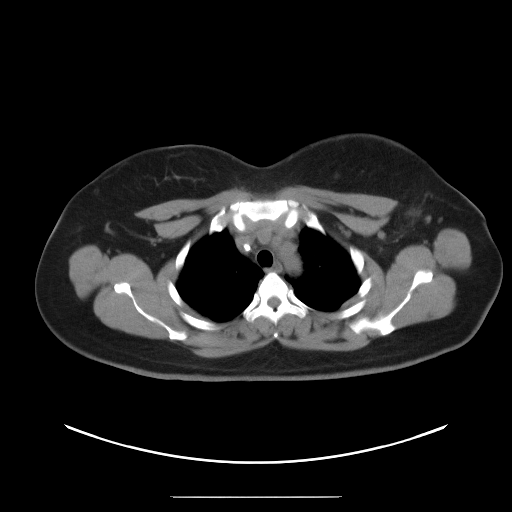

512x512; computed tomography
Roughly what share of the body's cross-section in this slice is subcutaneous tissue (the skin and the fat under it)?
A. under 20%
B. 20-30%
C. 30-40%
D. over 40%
D. over 40%
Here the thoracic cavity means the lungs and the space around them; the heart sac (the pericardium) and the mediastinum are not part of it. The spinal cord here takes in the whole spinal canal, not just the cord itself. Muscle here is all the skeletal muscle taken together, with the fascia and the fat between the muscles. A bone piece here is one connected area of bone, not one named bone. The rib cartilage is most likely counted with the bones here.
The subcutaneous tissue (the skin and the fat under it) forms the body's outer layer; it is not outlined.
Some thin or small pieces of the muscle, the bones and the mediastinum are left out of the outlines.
The thoracic cavity appears in 2 outlined pieces: piece 1: 225,228 233,240 237,251 242,256 259,268 263,272 263,276 259,280 250,302 241,312 235,317 227,321 217,322 201,316 188,305 180,295 175,284 178,280 180,271 184,265 185,260 191,247 204,236 221,232; piece 2: 306,226 318,231 323,235 329,236 347,251 361,281 356,293 341,307 334,311 323,311 315,309 302,301 296,296 293,288 285,278 287,276 292,279 297,279 304,271 304,263 302,255 299,251 299,246 300,234. The mediastinum is outlined by 267,221 282,223 287,229 292,228 299,221 304,223 305,226 299,234 298,251 303,263 303,271 299,277 292,278 286,275 285,280 275,271 269,271 264,275 259,267 238,251 226,227 228,224 243,232 248,224. The bones appear in 9 outlined pieces: piece 1: 266,199 293,199 300,205 305,205 316,215 326,234 307,226 301,219 287,228 283,224 282,217 275,221 265,219 256,222 248,221 243,231 238,230 230,221 221,231 208,234 211,219 222,207 227,208 237,201; piece 2: 269,272 275,272 279,275 292,288 295,296 298,299 314,309 310,310 303,318 300,318 295,314 286,313 278,320 276,324 274,324 268,318 264,316 259,316 252,322 247,321 241,315 241,313 251,302 260,280, around a hole outlined by 272,297 276,297 279,300 279,304 275,308 274,308 273,307 272,307 271,306 270,306 268,304 268,300 270,298 271,298; piece 3: 420,269 431,270 432,279 429,282 417,285 408,301 392,317 391,322 395,326 392,332 381,335 376,329 368,328 355,333 350,328 349,324 351,322 362,317 373,319 379,315 385,315 394,309 406,296 414,274; piece 4: 123,281 129,283 132,294 136,302 145,312 156,317 175,330 184,331 187,334 187,337 184,340 176,339 171,340 169,338 167,330 161,325 149,320 142,315 136,309 131,298 126,293 115,292 113,286 114,284; piece 5: 367,277 370,277 371,278 371,286 368,292 364,297 365,303 363,307 357,313 349,317 346,317 342,319 338,319 334,317 331,313 340,309 344,309 356,303 361,299 361,298 359,296 356,295 356,294 362,281; piece 6: 180,311 184,311 188,314 198,318 203,318 204,319 207,319 208,320 216,322 220,324 221,325 221,327 219,329 217,329 216,330 205,330 204,329 200,329 199,328 194,327 183,319 183,318 180,315; piece 7: 350,245 352,245 354,247 357,248 361,252 363,256 363,268 362,269 362,271 360,275 359,275 357,273 356,268 351,259 351,257 350,256 350,254 348,250 349,248 349,246; piece 8: 188,239 190,239 191,240 191,246 186,255 186,257 184,260 183,265 182,266 181,269 178,272 176,270 176,269 175,268 175,259 176,258 176,257 179,254 179,253 182,250 183,245; piece 9: 168,280 170,280 175,285 175,287 176,288 179,295 181,297 181,298 185,303 185,304 184,304 182,306 180,306 179,305 178,305 172,299 172,298 170,296 170,295 168,292 168,289 167,288 167,282 168,281. The muscle appears in 3 outlined pieces: piece 1: 447,227 464,232 472,252 469,267 456,278 455,308 441,318 395,330 393,317 417,286 433,279 431,269 420,268 389,312 348,324 355,334 370,329 382,336 350,351 301,350 273,341 238,354 202,357 177,342 105,325 91,301 76,295 68,274 70,255 95,244 110,257 119,252 138,256 154,274 175,258 179,273 175,283 167,280 167,292 178,306 187,304 202,317 179,311 200,330 219,330 219,323 240,314 249,323 264,317 274,325 286,314 303,319 314,310 332,312 342,320 364,307 372,286 370,276 360,279 364,256 359,249 386,271 400,249 431,244; inner edge: 123,281 129,283 132,294 136,302 145,312 156,317 175,330 184,331 187,334 187,337 184,340 176,339 171,340 169,338 167,330 161,325 149,320 142,315 136,309 131,298 126,293 115,292 113,286 114,284; piece 2: 291,185 398,201 382,227 383,239 353,234 355,246 347,250 327,234 313,211 293,198 224,205 210,219 207,234 192,245 190,238 184,243 185,237 158,241 153,222 133,214 168,200 205,198 234,187 269,193; piece 3: 355,295 360,298 360,299 359,300 358,300 356,302 355,302 354,303 353,303 352,304 351,304 350,305 349,305 344,308 340,308 341,308 342,307 342,306 345,303 346,303 352,297 353,297. The spinal cord is outlined by 272,297 276,297 279,300 279,304 275,308 274,308 273,307 272,307 271,306 270,306 268,304 268,300 270,298 271,298. The torso is outlined by 352,130 381,133 403,142 484,214 502,257 503,277 482,324 462,346 400,369 353,377 186,381 143,376 86,358 64,345 44,323 34,295 43,247 67,201 108,166 147,147 184,143 215,146 264,166 308,142.